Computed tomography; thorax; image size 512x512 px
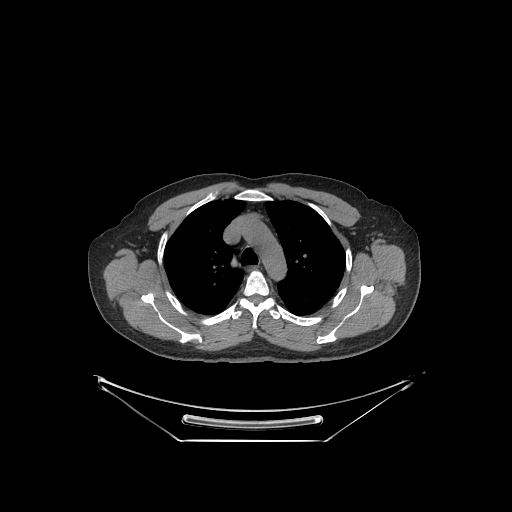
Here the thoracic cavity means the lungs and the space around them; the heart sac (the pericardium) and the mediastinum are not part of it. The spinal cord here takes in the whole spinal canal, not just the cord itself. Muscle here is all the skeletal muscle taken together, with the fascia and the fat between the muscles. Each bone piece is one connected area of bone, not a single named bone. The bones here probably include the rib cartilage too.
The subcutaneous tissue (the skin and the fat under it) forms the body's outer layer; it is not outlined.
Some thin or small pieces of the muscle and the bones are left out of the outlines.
Outlined structures:
thoracic cavity 1: 230 197; 235 200; 245 201; 243 209; 229 222; 222 232; 223 241; 231 247; 233 251; 233 266; 243 272; 243 284; 236 298; 228 306; 215 314; 205 315; 185 307; 173 293; 164 267; 164 252; 170 236; 188 215; 209 202; 219 198
thoracic cavity 2: 275 199; 279 200; 288 199; 297 201; 314 210; 325 221; 344 249; 344 272; 337 291; 326 304; 312 315; 295 314; 283 306; 274 296; 274 290; 276 289; 277 284; 286 277; 288 272; 288 266; 283 247; 265 205; 265 202; 273 201
spinal cord: 254 294; 258 294; 259 295; 260 295; 261 296; 262 296; 263 297; 263 299; 260 302; 259 302; 257 304; 255 304; 254 303; 253 303; 249 299; 249 297; 250 297; 252 295; 253 295
mediastinum: 246 202; 264 202; 265 209; 282 247; 287 266; 287 272; 285 277; 276 284; 275 289; 270 286; 265 275; 258 269; 253 269; 244 276; 244 272; 239 267; 234 266; 234 251; 232 247; 223 239; 223 232; 225 228; 244 209; 246 206
muscle 1: 269 182; 325 191; 355 207; 361 217; 344 231; 354 253; 376 239; 383 239; 403 250; 405 281; 391 319; 378 329; 335 341; 338 329; 360 309; 364 297; 374 290; 373 284; 363 283; 354 308; 327 333; 316 336; 317 344; 331 343; 314 351; 285 348; 256 335; 250 341; 216 351; 197 349; 184 344; 193 340; 200 344; 203 341; 201 334; 185 331; 168 321; 157 307; 151 291; 143 293; 140 299; 152 307; 161 322; 179 334; 178 342; 153 337; 129 325; 108 298; 103 279; 105 266; 122 248; 133 250; 140 262; 154 259; 156 249; 157 263; 161 268; 163 266; 172 291; 164 290; 168 301; 184 316; 189 314; 185 308; 206 316; 198 320; 204 326; 237 320; 243 309; 252 315; 254 330; 258 327; 258 316; 265 310; 274 320; 281 318; 299 326; 311 326; 324 319; 322 314; 315 313; 329 302; 333 309; 342 301; 348 287; 339 287; 344 273; 349 273; 352 268; 351 247; 343 247; 332 231; 331 220; 317 204; 274 198; 258 187
muscle 2: 223 181; 236 181; 246 187; 243 189; 236 192; 232 196; 223 198; 219 197; 221 193; 219 188; 210 190; 186 210; 181 221; 170 235; 167 230; 164 230; 159 237; 158 232; 148 229; 147 222; 149 217; 154 210; 164 201; 178 194
bones 1: 253 270; 264 275; 273 296; 287 310; 298 316; 322 315; 323 319; 311 325; 299 325; 281 317; 274 319; 265 309; 257 316; 254 329; 253 315; 243 308; 237 319; 229 318; 211 325; 199 323; 201 318; 228 307; 239 295; 244 277; inner edge: 254 294; 258 294; 259 295; 260 295; 261 296; 262 296; 263 297; 263 299; 260 302; 259 302; 257 304; 255 304; 254 303; 253 303; 249 299; 249 297; 250 297; 252 295; 253 295
bones 2: 363 284; 368 286; 373 285; 373 290; 363 297; 359 309; 354 314; 348 317; 337 329; 335 332; 337 339; 332 342; 327 342; 320 344; 317 343; 316 342; 317 336; 327 334; 342 320; 343 317; 346 314; 355 308; 359 302; 360 287
bones 3: 149 292; 153 294; 153 300; 156 307; 161 315; 168 322; 185 332; 199 333; 202 341; 199 343; 196 339; 193 339; 185 343; 179 342; 178 340; 180 338; 180 334; 161 321; 153 307; 149 303; 144 302; 141 299; 141 296; 143 294
bones 4: 247 187; 248 188; 253 188; 254 187; 257 187; 260 190; 261 190; 263 192; 266 193; 268 195; 271 196; 274 199; 273 200; 268 200; 267 201; 246 201; 245 200; 240 200; 239 199; 235 199; 233 197; 233 196; 236 193; 243 190
bones 5: 215 189; 219 189; 220 190; 220 193; 218 197; 216 199; 214 199; 211 201; 209 201; 199 206; 197 208; 193 210; 189 214; 188 214; 183 219; 183 217; 185 213; 192 205; 193 205; 195 203; 202 199; 210 191; 213 191
bones 6: 164 231; 167 231; 168 232; 169 237; 166 242; 166 244; 164 248; 164 251; 163 252; 163 265; 162 267; 161 267; 159 265; 158 263; 158 261; 157 260; 157 246; 158 245; 158 241; 159 240; 159 238; 161 234
bones 7: 165 290; 169 290; 177 298; 177 299; 182 304; 183 307; 187 311; 187 312; 188 313; 188 314; 187 315; 184 315; 183 314; 180 313; 171 304; 171 303; 169 301; 168 298; 166 296; 166 295; 165 294
bones 8: 344 286; 346 286; 347 287; 347 290; 345 293; 345 295; 343 297; 343 298; 341 300; 341 301; 335 307; 334 307; 333 308; 331 308; 330 307; 330 301; 331 300; 331 299; 336 294; 336 293; 338 291; 338 290
bones 9: 306 202; 312 202; 313 203; 314 203; 316 205; 317 205; 326 214; 326 215; 330 220; 330 221; 332 224; 331 225; 331 227; 330 227; 329 226; 329 225; 326 222; 326 221; 314 209; 313 209; 308 205; 305 204; 305 203
bones 10: 347 246; 349 246; 350 247; 350 248; 351 249; 351 251; 352 252; 352 261; 351 262; 351 268; 350 269; 350 270; 349 271; 349 272; 346 272; 345 271; 345 248
torso: 213 172; 247 177; 286 172; 327 176; 345 181; 368 197; 397 209; 417 233; 421 261; 417 299; 400 330; 382 345; 355 356; 296 363; 174 360; 151 353; 113 330; 99 313; 90 291; 89 244; 100 233; 115 226; 145 195; 174 181